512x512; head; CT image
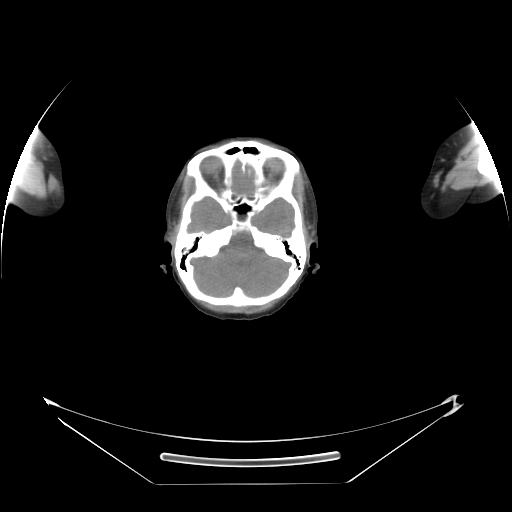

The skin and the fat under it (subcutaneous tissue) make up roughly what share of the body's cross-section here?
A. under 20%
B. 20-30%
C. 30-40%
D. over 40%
Answer: B. 20-30%
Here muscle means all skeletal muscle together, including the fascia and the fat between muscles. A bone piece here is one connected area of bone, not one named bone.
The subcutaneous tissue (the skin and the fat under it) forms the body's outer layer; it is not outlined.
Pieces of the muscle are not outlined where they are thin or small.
The bones appear in 2 outlined pieces: piece 1: [[245,140],[257,140],[266,144],[272,145],[291,154],[299,163],[299,177],[297,180],[297,187],[294,192],[294,195],[302,210],[304,237],[307,244],[307,257],[301,275],[287,292],[282,296],[261,305],[247,306],[215,305],[202,300],[195,299],[190,295],[179,278],[175,265],[175,257],[173,253],[173,248],[178,231],[181,210],[183,205],[193,191],[193,181],[191,179],[185,181],[187,164],[195,155],[202,151],[230,141]]; inner edges: [[241,232],[248,233],[252,244],[256,248],[261,249],[266,255],[288,264],[285,277],[274,289],[260,295],[249,295],[239,285],[236,285],[227,295],[214,295],[204,291],[195,278],[195,267],[192,261],[203,257],[215,257],[223,247],[231,242],[234,235]], then [[277,199],[282,199],[288,203],[291,206],[293,211],[293,216],[292,217],[293,226],[290,230],[289,235],[287,236],[284,236],[278,233],[272,233],[268,231],[261,230],[255,224],[254,224],[252,221],[253,220],[253,218],[257,214],[261,212],[267,205]], then [[207,197],[214,200],[220,206],[224,213],[229,216],[230,219],[229,223],[221,227],[212,229],[210,231],[205,231],[202,229],[196,230],[195,231],[189,231],[188,230],[188,227],[192,221],[192,211],[193,210],[194,204],[201,201],[204,198]], then [[208,157],[217,157],[220,160],[221,162],[221,164],[222,165],[222,171],[223,172],[222,173],[223,174],[222,175],[222,180],[221,182],[223,186],[222,186],[218,190],[214,188],[206,180],[201,170],[201,164],[202,162],[204,160],[204,159]], then [[272,158],[276,158],[280,160],[283,166],[283,170],[282,171],[281,176],[280,178],[275,183],[273,183],[271,182],[267,178],[265,174],[265,170],[264,169],[264,167],[265,166],[266,161],[268,159],[271,159]], then [[237,162],[239,163],[239,170],[243,174],[246,174],[251,178],[251,180],[250,181],[251,182],[251,189],[249,190],[249,192],[247,192],[246,191],[238,191],[235,188],[234,188],[234,184],[235,183],[234,181],[234,168]]; piece 2: [[488,150],[489,150],[491,154],[491,156],[493,159],[493,161],[495,164],[495,166],[496,167],[496,169],[497,170],[497,172],[499,176],[499,178],[497,179],[490,179],[489,178],[485,178],[478,172],[477,168],[476,167],[477,166],[477,161],[478,159]]. The left arm is outlined by [[471,121],[474,123],[481,134],[491,154],[500,179],[501,192],[500,191],[497,196],[487,202],[464,205],[457,213],[445,219],[441,220],[431,219],[422,210],[420,206],[419,195],[420,189],[430,170],[434,153],[439,144],[450,133],[465,124],[470,124]]. The head is outlined by [[252,135],[273,139],[301,159],[317,204],[319,243],[310,247],[310,260],[320,267],[314,274],[308,269],[299,289],[275,313],[253,320],[218,319],[198,311],[171,268],[164,273],[160,267],[170,261],[170,246],[163,244],[166,203],[197,148],[226,136]]. The brain appears in 4 outlined pieces: piece 1: [[241,232],[248,233],[252,244],[256,248],[261,249],[266,255],[288,264],[285,277],[274,289],[260,295],[249,295],[239,285],[236,285],[227,295],[214,295],[204,291],[195,278],[195,267],[192,261],[203,257],[215,257],[223,247],[231,242],[234,235]]; piece 2: [[277,199],[282,199],[288,203],[291,206],[293,211],[293,216],[292,217],[293,226],[290,230],[289,235],[287,236],[284,236],[278,233],[272,233],[268,231],[261,230],[255,224],[254,224],[252,221],[253,220],[253,218],[257,214],[261,212],[267,205]]; piece 3: [[207,197],[214,200],[220,206],[224,213],[229,216],[230,219],[229,223],[221,227],[212,229],[210,231],[205,231],[202,229],[196,230],[195,231],[189,231],[188,230],[188,227],[192,221],[192,211],[193,210],[194,204],[201,201],[204,198]]; piece 4: [[237,162],[239,163],[239,170],[243,174],[246,174],[251,178],[251,180],[250,181],[251,182],[251,189],[249,190],[249,192],[247,192],[246,191],[238,191],[235,188],[234,188],[234,184],[235,183],[234,181],[234,168]]. The muscle appears in 5 outlined pieces: piece 1: [[476,127],[488,148],[477,159],[475,167],[476,170],[485,179],[500,179],[500,182],[490,190],[487,190],[482,187],[474,187],[457,191],[450,190],[445,193],[440,193],[432,186],[432,180],[439,168],[440,159],[449,146],[458,139],[459,135],[463,131]]; piece 2: [[29,136],[45,148],[52,155],[51,159],[52,160],[54,174],[58,180],[61,187],[61,193],[60,195],[57,197],[50,197],[45,200],[28,199],[23,194],[22,194],[17,189],[10,184],[11,183],[11,180],[12,179],[15,168],[17,165],[18,160]]; piece 3: [[299,278],[294,287],[281,301],[272,308],[257,313],[252,313],[251,314],[246,314],[245,313],[220,313],[219,312],[210,310],[205,307],[203,307],[195,300],[202,301],[215,306],[233,306],[234,307],[261,306],[273,300],[282,297],[288,292],[291,287]]; piece 4: [[300,167],[307,184],[308,201],[309,202],[309,207],[311,214],[311,222],[313,225],[312,228],[312,236],[311,239],[307,243],[305,237],[305,231],[304,230],[304,215],[303,214],[303,210],[295,195],[295,192],[298,187],[298,180],[300,177]]; piece 5: [[185,171],[184,181],[185,182],[189,180],[192,181],[192,191],[181,207],[177,231],[175,235],[174,241],[172,241],[169,236],[169,233],[172,226],[171,224],[172,212],[174,207],[174,202],[176,199],[176,193],[178,192],[178,189],[180,185],[180,180]]. The right arm is outlined by [[35,128],[38,128],[39,130],[41,130],[50,139],[58,153],[61,162],[66,193],[66,201],[63,207],[54,215],[43,218],[33,217],[24,213],[19,208],[12,205],[10,202],[10,199],[8,197],[9,187],[18,160],[30,134]].